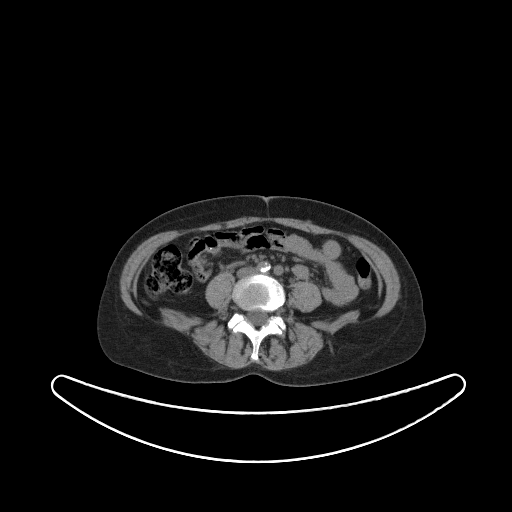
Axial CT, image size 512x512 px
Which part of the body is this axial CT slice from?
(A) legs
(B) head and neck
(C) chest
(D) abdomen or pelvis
Answer: (D) abdomen or pelvis
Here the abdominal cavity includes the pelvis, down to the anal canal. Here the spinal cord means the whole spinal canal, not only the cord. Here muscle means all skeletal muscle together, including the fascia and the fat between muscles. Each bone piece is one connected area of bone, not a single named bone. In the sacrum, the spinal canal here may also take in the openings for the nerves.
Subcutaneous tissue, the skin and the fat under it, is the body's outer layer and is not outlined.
The abdominal cavity is outlined by 260,221 351,243 377,279 375,312 362,321 353,309 304,323 295,312 309,313 322,302 315,283 291,281 286,298 269,274 235,281 228,271 204,290 215,319 167,307 158,308 162,317 147,312 138,280 169,241. The muscle is outlined by 243,216 288,217 302,220 308,220 314,224 322,227 342,231 349,234 354,234 369,240 381,248 392,261 398,273 400,280 400,295 399,298 393,308 387,314 382,317 369,321 365,321 358,324 347,325 330,335 329,341 326,342 315,357 306,364 294,368 283,370 269,370 261,367 259,364 256,363 252,363 245,367 236,369 229,368 219,364 206,356 193,343 191,339 188,338 182,333 171,328 149,322 130,310 125,305 121,298 119,288 119,280 124,264 131,253 138,245 149,237 157,233 168,230 180,230 192,227 199,227 207,224 215,223 220,221 226,221; inner edge: 260,221 351,243 377,279 375,312 304,323 295,312 317,308 321,292 312,281 291,281 277,311 285,330 262,339 255,361 248,337 227,327 240,311 228,271 204,290 215,319 147,312 138,280 169,241. The spinal cord is outlined by 257,309 259,309 262,311 265,311 268,313 268,319 267,320 267,322 265,324 263,324 258,327 255,326 253,324 252,324 249,321 248,321 248,320 246,317 248,312 249,312 250,311 252,311 253,310 256,310. The bones are outlined by 257,273 269,275 283,286 285,301 277,313 282,317 286,327 281,335 269,334 262,339 258,359 255,361 250,357 253,349 251,341 244,333 235,333 229,329 227,322 233,313 240,311 232,295 234,285 241,278; inner edge: 257,309 259,309 262,311 265,311 268,313 268,319 267,320 267,322 265,324 263,324 258,327 255,326 253,324 252,324 249,321 248,321 248,320 246,317 248,312 249,312 250,311 252,311 253,310 256,310. The torso is outlined by 236,194 289,195 324,201 360,215 387,234 408,260 422,293 426,332 415,355 367,376 304,387 278,385 258,375 223,383 184,383 148,375 108,359 98,343 96,315 108,269 123,243 143,224 169,209 197,200.